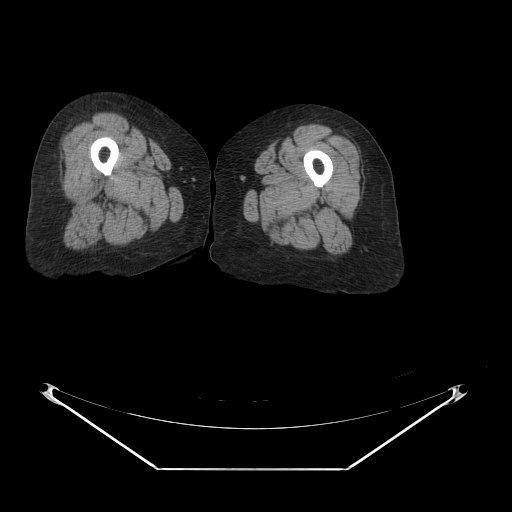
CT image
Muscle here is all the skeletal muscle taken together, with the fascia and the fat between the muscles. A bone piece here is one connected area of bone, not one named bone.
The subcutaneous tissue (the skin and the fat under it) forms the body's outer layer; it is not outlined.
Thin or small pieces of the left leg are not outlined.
The right leg is outlined by [[99,90],[127,92],[151,102],[199,142],[208,157],[211,172],[209,230],[203,247],[180,265],[178,271],[161,267],[127,277],[108,277],[94,272],[81,277],[64,275],[55,281],[44,280],[28,267],[24,255],[35,154],[47,125],[57,111],[72,99]]. The left leg is outlined by [[293,103],[321,104],[347,113],[368,129],[385,154],[393,175],[405,260],[403,277],[391,290],[370,295],[342,292],[328,295],[298,286],[264,286],[227,278],[211,260],[211,209],[212,198],[215,195],[213,172],[220,148],[236,131],[256,117]]. The bones appear in 2 outlined pieces: piece 1: [[101,136],[109,136],[113,138],[117,143],[118,149],[119,150],[119,155],[118,156],[118,158],[115,163],[114,167],[112,169],[111,174],[108,176],[106,176],[101,172],[100,172],[94,166],[90,158],[90,152],[89,151],[90,145],[96,138],[100,137]]; piece 2: [[311,149],[319,149],[325,152],[330,157],[332,161],[332,164],[333,165],[333,171],[332,172],[332,175],[329,179],[329,180],[322,187],[317,187],[314,185],[313,182],[306,173],[305,169],[304,168],[304,166],[303,165],[303,156],[308,150],[310,150]]. The muscle appears in 2 outlined pieces: piece 1: [[99,111],[112,111],[123,115],[159,143],[171,161],[173,176],[183,198],[184,211],[181,219],[168,232],[157,235],[144,243],[129,247],[123,251],[77,252],[65,247],[62,241],[68,214],[66,213],[66,201],[59,192],[58,144],[62,131],[86,115]] with a hole at [[101,136],[109,136],[113,138],[117,143],[118,149],[119,150],[119,155],[118,156],[118,158],[115,163],[114,167],[112,169],[111,174],[108,176],[106,176],[101,172],[100,172],[94,166],[90,158],[90,152],[89,151],[90,145],[96,138],[100,137]]; piece 2: [[318,120],[331,122],[343,130],[359,147],[361,151],[361,163],[365,175],[364,192],[353,221],[354,251],[350,255],[333,263],[321,263],[306,257],[286,254],[268,245],[245,220],[242,214],[243,198],[253,172],[255,159],[260,152],[278,136],[299,125]], around a hole outlined by [[311,149],[319,149],[325,152],[330,157],[332,161],[332,164],[333,165],[333,171],[332,172],[332,175],[329,179],[329,180],[322,187],[317,187],[314,185],[313,182],[306,173],[305,169],[304,168],[304,166],[303,165],[303,156],[308,150],[310,150]].